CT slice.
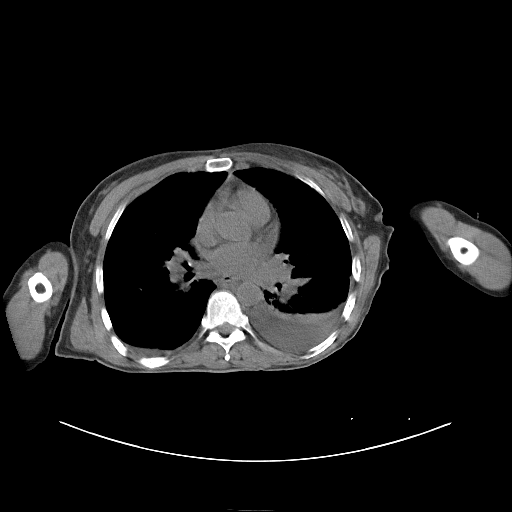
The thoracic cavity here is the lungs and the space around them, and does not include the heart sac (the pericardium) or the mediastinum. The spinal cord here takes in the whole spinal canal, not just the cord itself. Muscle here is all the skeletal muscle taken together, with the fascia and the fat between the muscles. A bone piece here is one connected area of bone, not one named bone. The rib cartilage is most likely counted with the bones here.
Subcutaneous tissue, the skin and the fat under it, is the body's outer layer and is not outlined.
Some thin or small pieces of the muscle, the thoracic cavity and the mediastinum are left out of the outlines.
{"left_arm":[[[424,199],[438,199],[445,201],[460,208],[473,217],[478,213],[479,218],[482,221],[494,226],[507,238],[511,243],[511,287],[507,297],[499,298],[488,295],[468,284],[443,265],[435,254],[422,231],[408,217],[407,214],[408,207],[412,203],[418,200]]],"mediastinum":[[[195,234],[194,242],[205,264],[216,274],[224,276],[236,278],[259,276],[265,269],[273,250],[271,261],[261,281],[264,301],[257,308],[248,314],[243,312],[240,303],[232,292],[225,289],[214,290],[216,285],[211,280],[199,276],[198,252],[192,243]],[[232,167],[242,168],[238,168],[236,169],[233,172],[233,174],[246,183],[238,180],[233,180],[232,181],[230,181],[220,187],[219,189],[218,189],[217,191],[215,192],[213,196],[208,202],[209,198],[226,178],[228,174],[227,173],[227,171]]],"thoracic_cavity":[[[183,171],[209,173],[226,171],[227,174],[208,198],[191,238],[191,243],[198,257],[198,276],[211,281],[215,288],[207,299],[205,312],[192,342],[167,356],[142,356],[128,349],[113,329],[104,297],[103,264],[106,247],[117,222],[130,203],[164,178]],[[248,167],[277,170],[296,178],[316,191],[337,216],[348,241],[353,286],[347,294],[341,317],[327,337],[303,353],[284,351],[270,345],[256,333],[247,315],[265,301],[262,281],[272,261],[281,232],[280,219],[271,201],[255,187],[234,174],[236,170]]],"torso":[[[258,141],[301,147],[336,161],[380,202],[383,222],[393,226],[387,248],[389,268],[381,278],[357,333],[340,349],[316,363],[278,371],[128,373],[96,361],[57,356],[54,349],[74,268],[67,244],[77,209],[90,191],[116,169],[149,155]]],"spinal_cord":[[[225,322],[226,322],[227,323],[228,323],[229,324],[230,324],[232,326],[232,330],[228,334],[227,334],[226,335],[224,335],[223,334],[222,334],[221,333],[220,333],[218,331],[218,330],[217,329],[217,328],[220,325],[221,325],[222,324],[223,324]]],"pericardium":[[[233,181],[247,184],[255,188],[267,198],[275,209],[279,220],[279,235],[277,242],[268,258],[264,269],[259,275],[255,277],[236,277],[233,275],[224,275],[221,273],[216,273],[206,264],[206,262],[200,255],[195,242],[198,222],[206,206],[220,188]]],"bones":[{"outer":[[219,290],[229,291],[235,296],[257,337],[277,351],[259,346],[247,333],[244,340],[235,342],[229,348],[229,359],[226,360],[224,358],[225,350],[221,345],[216,342],[206,342],[203,337],[197,338],[202,317],[206,312],[208,299],[213,291]],"hole":[[225,322],[226,322],[227,323],[228,323],[229,324],[230,324],[232,326],[232,330],[228,334],[227,334],[226,335],[224,335],[223,334],[222,334],[221,333],[220,333],[218,331],[218,330],[217,329],[217,328],[220,325],[221,325],[222,324],[223,324]]},[[453,236],[459,236],[460,237],[462,237],[472,242],[479,249],[479,255],[477,257],[477,258],[471,264],[469,264],[468,265],[464,265],[460,262],[459,262],[453,256],[450,250],[450,248],[446,242],[448,238],[450,237],[452,237]],[[37,271],[40,271],[42,272],[48,278],[48,279],[51,282],[51,284],[52,285],[52,293],[51,294],[51,296],[49,299],[43,302],[36,302],[32,298],[30,294],[29,288],[28,287],[28,284],[27,283],[28,279],[30,276],[31,276]],[[216,157],[229,157],[232,160],[233,164],[232,166],[227,170],[213,171],[212,172],[209,172],[204,170],[196,170],[195,171],[185,171],[184,170],[186,167],[190,165],[193,166],[194,165],[201,165],[202,166],[208,159],[210,158],[215,158]],[[334,330],[338,330],[338,334],[336,338],[333,341],[333,342],[323,351],[317,354],[315,356],[313,356],[310,358],[300,358],[300,356],[304,354],[310,348],[319,344],[326,338],[327,338],[328,336],[329,336],[330,334]],[[155,356],[164,356],[165,357],[167,357],[169,358],[169,362],[159,367],[156,367],[155,368],[148,368],[147,367],[145,367],[143,366],[137,361],[137,359],[138,359],[140,357],[154,357]],[[123,202],[126,202],[126,206],[123,210],[118,220],[116,222],[113,228],[113,230],[111,233],[111,235],[107,243],[106,243],[105,241],[105,234],[106,233],[106,230],[107,229],[107,227],[114,213],[116,211],[117,208]],[[350,292],[353,292],[355,294],[355,302],[354,303],[354,306],[350,313],[350,315],[349,316],[349,319],[348,320],[344,320],[344,319],[342,317],[342,311],[343,310],[343,308],[345,305],[345,303],[346,302],[346,300],[347,299],[348,294]],[[295,172],[298,172],[310,178],[312,180],[313,180],[324,192],[325,194],[325,198],[323,196],[322,196],[316,190],[312,188],[309,185],[308,185],[306,183],[303,182],[301,180],[295,177],[294,176],[294,173]],[[97,264],[100,264],[101,265],[102,265],[102,269],[103,270],[103,294],[100,294],[98,292],[98,290],[97,289],[97,286],[96,285],[96,283],[95,282],[95,267],[96,266],[96,265]],[[341,213],[344,215],[344,216],[346,218],[346,219],[350,226],[350,228],[351,229],[351,232],[352,233],[352,235],[353,236],[353,240],[351,242],[349,242],[349,241],[345,234],[345,232],[342,227],[342,225],[339,220],[339,218],[338,217],[338,216]],[[353,256],[357,256],[359,258],[359,260],[360,261],[360,266],[361,267],[361,269],[360,270],[360,277],[359,278],[360,279],[358,281],[355,281],[354,280],[354,279],[353,278],[353,277],[352,276],[352,257]],[[111,334],[115,334],[117,336],[117,337],[124,344],[124,345],[127,348],[127,355],[126,355],[125,356],[124,355],[122,355],[116,349],[116,348],[113,345],[113,344],[112,343],[112,342],[111,341],[111,340],[110,339],[110,336],[111,335]],[[103,306],[104,306],[106,308],[106,310],[108,313],[108,315],[110,318],[110,320],[112,324],[112,328],[110,330],[107,330],[107,329],[105,327],[104,325],[104,323],[103,322],[103,320],[102,319],[102,317],[101,316],[101,307]]],"right_arm":[[[52,240],[59,240],[66,243],[73,268],[62,312],[62,316],[56,327],[50,345],[49,353],[43,362],[40,363],[32,370],[28,371],[16,351],[13,337],[5,313],[3,293],[9,284],[15,271],[23,261],[36,249],[39,248],[46,242]]],"muscle":[[[226,152],[257,152],[292,161],[316,170],[331,181],[349,199],[351,210],[347,214],[360,239],[362,241],[370,234],[380,237],[374,284],[350,333],[332,349],[310,361],[276,365],[273,368],[156,368],[169,363],[168,356],[179,352],[196,338],[221,346],[224,350],[223,358],[228,361],[230,348],[244,341],[247,334],[263,349],[277,352],[276,348],[302,354],[300,359],[310,359],[334,342],[339,334],[339,330],[335,329],[340,319],[348,321],[355,306],[356,294],[351,290],[354,281],[361,279],[362,267],[360,258],[351,254],[349,243],[354,240],[354,236],[345,215],[335,213],[325,192],[310,177],[298,171],[293,176],[264,166],[233,166],[234,162],[229,156],[218,156]],[[200,155],[215,157],[164,177],[127,205],[123,201],[116,208],[104,234],[103,263],[94,267],[96,289],[103,295],[105,304],[100,307],[100,316],[106,330],[114,332],[109,336],[112,345],[122,356],[127,356],[128,350],[141,356],[136,361],[147,368],[119,365],[95,353],[72,349],[72,320],[82,297],[88,299],[91,293],[92,267],[101,235],[92,235],[89,225],[99,204],[118,183],[133,175],[177,159]],{"outer":[[49,248],[52,250],[59,251],[67,257],[69,262],[68,277],[61,294],[61,297],[58,303],[53,308],[51,317],[46,326],[41,350],[35,357],[23,360],[16,351],[13,337],[5,313],[5,305],[11,299],[23,272],[28,268],[35,265],[40,257]],"hole":[[37,271],[40,271],[42,272],[48,278],[48,279],[51,282],[51,284],[52,285],[52,293],[51,294],[51,296],[49,299],[43,302],[36,302],[32,298],[30,294],[29,288],[28,287],[28,284],[27,283],[28,279],[30,276],[31,276]]},{"outer":[[436,205],[441,206],[453,214],[456,219],[491,233],[506,246],[511,255],[511,281],[505,288],[500,290],[494,290],[484,287],[477,282],[470,274],[461,270],[452,260],[449,259],[445,255],[439,247],[435,238],[422,221],[419,214],[420,211],[424,207]],"hole":[[453,236],[459,236],[460,237],[462,237],[472,242],[479,249],[479,255],[477,257],[477,258],[471,264],[469,264],[468,265],[464,265],[460,262],[459,262],[453,256],[450,250],[450,248],[446,242],[448,238],[450,237],[452,237]]}]}